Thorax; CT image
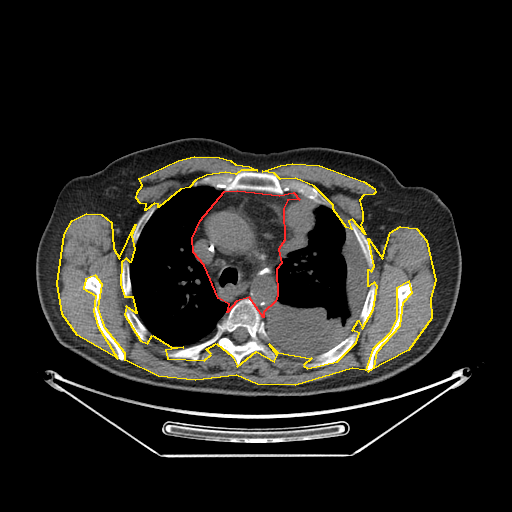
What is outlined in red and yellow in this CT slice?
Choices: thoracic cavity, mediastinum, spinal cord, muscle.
red: mediastinum; yellow: muscle.
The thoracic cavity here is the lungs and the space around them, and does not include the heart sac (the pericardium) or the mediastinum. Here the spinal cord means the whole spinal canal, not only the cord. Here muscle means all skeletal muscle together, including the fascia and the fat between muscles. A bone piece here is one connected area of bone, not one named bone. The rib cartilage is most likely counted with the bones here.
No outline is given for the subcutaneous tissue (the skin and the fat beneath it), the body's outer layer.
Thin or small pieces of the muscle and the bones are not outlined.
{"mediastinum":[[[237,190],[279,195],[293,192],[299,199],[287,200],[283,208],[284,240],[278,249],[281,263],[276,269],[277,295],[275,301],[263,312],[263,317],[249,297],[236,301],[227,312],[229,304],[218,298],[204,265],[193,252],[192,238],[200,220],[224,191]]],"muscle":[[[86,213],[101,214],[111,222],[113,248],[119,258],[135,224],[131,235],[134,249],[130,262],[126,258],[121,262],[120,284],[124,296],[132,296],[136,313],[126,306],[124,314],[140,340],[147,343],[152,335],[170,346],[183,347],[165,350],[167,358],[204,360],[211,354],[206,349],[216,343],[232,356],[237,366],[256,351],[274,361],[277,355],[269,344],[277,352],[311,358],[303,365],[307,368],[337,361],[356,342],[359,333],[352,330],[358,320],[362,328],[373,309],[377,286],[374,282],[368,286],[368,269],[371,271],[374,266],[368,238],[382,258],[390,232],[400,226],[416,228],[426,240],[435,280],[430,298],[431,318],[408,350],[368,371],[374,367],[377,351],[400,325],[403,302],[412,292],[409,281],[396,288],[396,319],[388,334],[372,349],[365,370],[352,368],[295,385],[257,384],[236,375],[195,380],[158,376],[125,360],[125,353],[105,328],[98,308],[102,284],[95,275],[85,279],[83,288],[95,295],[93,311],[97,325],[117,358],[77,335],[62,314],[57,283],[64,234],[72,220]],[[292,163],[319,165],[363,181],[374,188],[375,192],[373,194],[363,195],[359,200],[362,212],[362,220],[360,225],[365,234],[352,219],[348,221],[351,229],[346,227],[333,209],[333,205],[314,186],[295,178],[280,179],[274,173],[262,171],[280,165]],[[194,156],[219,157],[230,160],[235,164],[249,166],[257,170],[241,170],[235,174],[225,172],[206,175],[195,180],[189,187],[180,189],[158,207],[158,204],[154,203],[145,210],[146,204],[140,203],[136,198],[137,192],[142,185],[139,178],[178,160]]],"spinal_cord":[[[239,327],[242,327],[243,328],[245,328],[246,329],[246,330],[247,331],[247,332],[248,333],[248,338],[244,342],[243,342],[242,343],[239,343],[238,342],[236,342],[232,338],[232,333],[237,328],[238,328]]],"torso":[[[186,137],[211,138],[256,153],[306,146],[355,152],[384,163],[402,184],[435,192],[451,211],[461,250],[456,304],[435,346],[414,365],[377,383],[306,396],[156,386],[111,373],[62,346],[41,309],[35,278],[38,243],[60,190],[70,179],[125,154]]],"thoracic_cavity":[[[298,194],[303,194],[337,214],[343,225],[353,233],[367,266],[368,289],[351,333],[333,347],[312,357],[289,355],[276,348],[266,331],[263,319],[264,312],[276,301],[278,295],[277,269],[282,263],[279,249],[285,240],[284,208],[287,201],[299,200]],[[198,186],[209,186],[223,190],[221,196],[195,226],[191,238],[191,247],[195,259],[203,265],[217,298],[229,306],[227,313],[216,323],[215,331],[210,337],[186,346],[170,345],[153,335],[137,314],[132,295],[130,263],[140,235],[156,210],[180,190]]],"bones":[{"outer":[[244,298],[253,301],[264,321],[264,328],[271,343],[268,346],[276,355],[274,360],[256,350],[244,356],[237,365],[233,356],[216,342],[205,349],[210,354],[204,359],[193,361],[166,356],[167,350],[177,350],[210,338],[216,331],[217,323],[236,302]],"hole":[[239,327],[242,327],[243,328],[245,328],[246,329],[246,330],[247,331],[247,332],[248,333],[248,338],[244,342],[243,342],[242,343],[239,343],[238,342],[236,342],[232,338],[232,333],[237,328],[238,328]]},[[241,171],[267,172],[274,174],[280,180],[295,179],[305,182],[314,187],[332,205],[332,208],[312,200],[303,193],[293,191],[286,191],[282,194],[279,194],[268,191],[245,189],[226,191],[209,185],[191,186],[195,181],[206,176],[225,173],[235,175]],[[354,332],[357,332],[358,333],[358,335],[355,342],[350,348],[350,349],[344,355],[343,355],[337,360],[329,364],[327,364],[320,367],[307,367],[304,365],[306,363],[310,362],[314,356],[316,356],[319,354],[321,354],[328,351],[344,340],[350,334]],[[90,275],[93,275],[98,278],[101,284],[99,292],[99,299],[97,303],[97,308],[101,322],[104,328],[117,342],[124,353],[125,355],[124,360],[118,359],[115,348],[101,331],[98,325],[94,311],[94,302],[96,295],[93,291],[84,288],[84,283]],[[409,282],[411,283],[411,292],[409,296],[405,298],[402,302],[403,311],[399,325],[395,333],[376,351],[373,359],[372,369],[366,370],[365,367],[369,361],[373,349],[383,338],[389,334],[397,319],[399,309],[399,302],[396,293],[397,288],[400,285]],[[350,220],[352,220],[359,227],[359,228],[366,236],[369,242],[369,244],[371,247],[371,251],[372,252],[372,262],[373,263],[373,266],[371,270],[370,270],[368,268],[368,266],[366,263],[366,260],[360,248],[359,243],[351,228],[351,226],[349,222]],[[126,307],[129,307],[137,315],[137,316],[138,317],[138,318],[140,320],[140,321],[146,327],[146,328],[150,332],[151,335],[148,337],[148,341],[147,342],[140,339],[134,333],[134,332],[132,330],[132,329],[126,318],[126,315],[125,314],[125,308]],[[372,283],[374,283],[376,286],[376,290],[374,295],[374,301],[373,302],[371,312],[365,324],[362,327],[361,327],[361,322],[359,319],[359,317],[360,316],[360,313],[362,310],[362,307],[364,304],[364,302],[367,295],[367,292],[369,289],[370,285]],[[154,204],[157,204],[157,208],[151,215],[149,219],[144,225],[135,245],[133,245],[132,243],[132,235],[133,234],[133,232],[134,231],[134,229],[135,228],[135,226],[136,225],[136,223],[138,219],[140,217],[140,216],[148,208],[149,208],[152,205]],[[124,259],[126,259],[127,260],[127,261],[129,263],[129,276],[130,277],[130,282],[131,283],[131,296],[130,296],[129,297],[126,297],[125,296],[125,295],[123,292],[123,290],[122,289],[122,285],[121,284],[121,266],[122,265],[122,262]]]}